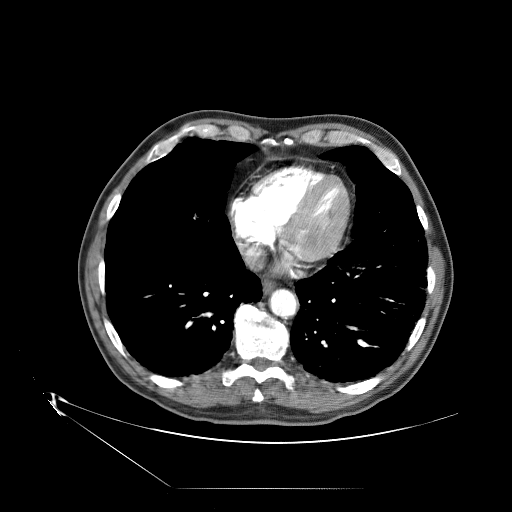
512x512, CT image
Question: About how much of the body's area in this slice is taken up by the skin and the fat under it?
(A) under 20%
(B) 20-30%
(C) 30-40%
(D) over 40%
Answer: (A) under 20%
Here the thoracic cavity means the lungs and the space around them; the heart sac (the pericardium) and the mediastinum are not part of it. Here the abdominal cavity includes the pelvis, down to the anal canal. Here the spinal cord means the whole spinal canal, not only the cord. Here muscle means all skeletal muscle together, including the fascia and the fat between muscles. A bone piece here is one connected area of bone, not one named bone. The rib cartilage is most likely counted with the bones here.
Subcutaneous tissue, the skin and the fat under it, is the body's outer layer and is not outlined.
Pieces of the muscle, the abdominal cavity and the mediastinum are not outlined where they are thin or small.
Outlines:
spinal cord: 256,357 260,357 261,358 265,358 266,359 271,361 271,363 272,364 271,365 270,365 268,367 265,368 263,370 258,370 257,369 256,369 252,365 251,365 249,363 250,362 250,361 252,359 253,359
muscle 1: 148,150 144,166 130,180 124,191 116,192 107,205 104,221 108,224 103,256 99,258 96,270 98,287 101,295 105,296 108,316 102,318 105,331 124,358 129,354 150,371 147,376 150,381 166,389 181,387 184,382 178,378 198,375 221,366 235,353 239,362 220,373 221,383 225,387 230,387 243,377 254,379 258,385 274,378 281,381 287,390 293,391 296,379 281,365 285,356 295,368 304,373 328,382 351,382 337,385 335,389 340,393 360,395 379,384 385,378 379,373 390,366 403,351 408,352 421,336 427,322 427,314 422,314 426,293 430,295 436,283 436,272 428,264 425,238 428,218 423,207 414,202 411,191 400,177 403,172 399,159 423,199 432,222 434,243 444,260 444,292 440,309 431,334 414,363 387,387 368,398 343,408 319,413 269,403 197,408 170,399 133,380 109,353 94,325 88,307 84,270 106,199 with a hole at 256,388 258,388 260,390 260,391 261,392 261,393 262,394 262,395 263,396 263,400 262,401 261,401 260,402 254,402 252,400 252,397 253,396 253,395 254,394 254,390
muscle 2: 200,118 228,118 240,120 253,126 268,130 272,133 312,123 343,123 369,133 391,149 398,158 393,152 369,138 345,129 324,130 320,128 313,128 303,132 298,137 298,143 295,143 295,140 289,136 283,137 280,141 272,136 266,136 259,141 250,141 252,139 251,132 244,126 235,123 229,124 225,128 214,123 186,123 173,134 160,140 184,123
thoracic cavity 1: 188,136 250,142 257,147 236,162 226,192 224,213 245,268 260,281 261,297 250,303 242,302 236,308 232,320 234,355 228,361 198,374 171,377 151,371 131,355 110,320 104,250 109,222 131,180
thoracic cavity 2: 358,144 367,147 388,170 400,178 411,193 427,247 425,297 421,315 403,350 390,365 355,382 328,381 295,367 287,355 290,330 300,309 295,284 300,279 313,276 352,240 356,185 341,161 319,156 337,147
abdominal cavity: 254,142 258,142 260,145 266,145 272,147 285,146 283,148 283,150 285,151 284,152 285,153 287,153 289,155 279,155 276,157 272,157 269,159 264,159 266,156 266,152 259,145 256,145 253,143
torso: 200,109 265,117 348,114 379,124 404,146 441,218 453,261 453,290 433,347 412,378 393,395 364,412 320,426 221,425 173,414 132,392 110,370 88,327 78,289 78,253 88,219 108,180 150,132 175,116
bones 1: 242,303 267,312 288,329 289,347 280,365 286,372 293,375 295,379 293,390 287,389 281,380 274,377 269,377 258,384 254,378 243,376 230,386 223,385 222,371 233,368 240,362 234,349 233,320 237,308, around a hole outlined by 256,357 260,357 261,358 265,358 266,359 271,361 271,363 272,364 271,365 270,365 268,367 265,368 263,370 258,370 257,369 256,369 252,365 251,365 249,363 250,362 250,361 252,359 253,359
bones 2: 313,129 320,129 324,131 345,130 353,132 369,139 394,154 399,161 402,174 400,176 398,176 388,169 367,146 362,144 358,143 341,146 332,146 331,145 312,145 299,143 298,141 299,137 303,133
bones 3: 186,124 214,124 222,129 225,129 229,125 235,124 247,129 250,132 251,139 249,141 232,140 226,132 218,135 216,139 204,138 197,135 188,135 183,137 166,155 145,165 145,159 151,148 156,143 176,133
bones 4: 377,374 381,374 383,375 384,376 384,378 374,387 363,393 361,393 360,394 348,394 347,393 340,392 336,389 336,387 337,386 344,386 345,385 348,385 349,384 355,383 359,381 362,381 363,380 368,379
bones 5: 103,318 107,318 109,319 109,320 111,322 120,340 122,342 123,345 125,347 125,349 128,353 128,355 126,358 124,357 118,351 118,350 112,343 106,331 106,329 105,328 105,326 103,322
bones 6: 151,372 155,373 156,374 159,374 160,375 162,375 166,377 170,377 171,378 177,378 181,380 183,382 183,384 181,386 177,386 174,388 166,388 165,387 161,387 157,385 154,382 153,382 148,378 148,376
bones 7: 425,313 426,314 426,322 425,323 425,325 423,328 423,330 420,336 418,338 416,342 413,345 413,346 408,351 404,351 404,349 408,341 409,336 411,332 413,330 416,322 419,319 419,318 423,314
bones 8: 118,192 120,192 122,193 122,195 121,196 121,198 120,199 119,204 115,212 113,214 113,215 111,217 109,221 106,222 105,221 105,218 106,217 106,212 107,211 107,208 108,207 108,205 112,197 116,193
bones 9: 266,137 272,137 279,142 280,142 283,139 283,138 285,137 289,137 290,138 292,138 294,140 294,144 293,145 280,145 279,146 272,146 271,145 267,145 266,144 260,144 259,142 262,139
bones 10: 101,257 103,257 103,259 104,260 104,265 105,266 105,276 104,277 104,289 105,290 105,295 102,295 101,291 100,290 100,288 99,287 99,282 98,281 98,271 97,270 97,268 98,267 98,264
bones 11: 428,265 431,265 432,266 432,267 433,268 433,269 435,272 435,283 434,284 434,286 433,287 433,289 432,290 432,291 430,294 428,294 426,292 426,286 427,285 427,278 426,277 426,269 427,268
bones 12: 416,204 418,204 419,205 420,205 422,207 422,208 423,209 423,210 426,215 426,217 427,218 427,230 424,230 424,229 423,228 423,227 420,222 420,220 418,217 418,214 417,213 417,210 416,209
bones 13: 256,388 258,388 260,390 260,391 261,392 261,393 262,394 262,395 263,396 263,400 262,401 261,401 260,402 254,402 252,400 252,397 253,396 253,395 254,394 254,390
pericardium: 290,155 316,160 335,166 351,184 353,191 353,207 351,212 351,223 341,249 328,259 321,267 305,277 292,281 284,281 264,276 248,268 234,239 227,216 227,210 230,199 234,195 238,185 248,172 264,160
mediastinum 1: 253,272 270,279 279,280 284,282 292,282 297,280 295,282 294,286 295,292 298,297 299,309 295,315 289,330 283,322 274,317 267,311 260,309 255,305 251,304 252,302 257,302 262,297 261,281 259,277
mediastinum 2: 295,144 336,147 322,152 318,156 322,160 341,162 346,167 347,174 355,185 355,203 352,225 350,229 351,240 343,249 342,248 352,223 351,222 352,212 354,207 354,191 352,184 333,164 285,152 284,148 286,146 293,146
mediastinum 3: 257,146 259,146 265,152 265,156 263,158 263,160 248,171 239,182 233,195 229,199 227,204 226,214 225,207 227,203 227,192 231,186 232,179 234,175 234,168 238,161 240,161 250,154 256,152 259,147